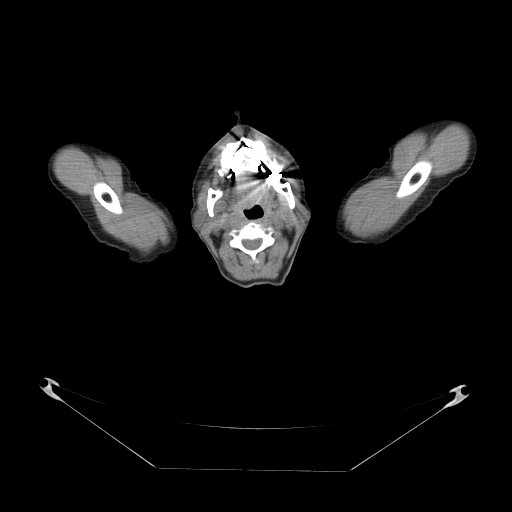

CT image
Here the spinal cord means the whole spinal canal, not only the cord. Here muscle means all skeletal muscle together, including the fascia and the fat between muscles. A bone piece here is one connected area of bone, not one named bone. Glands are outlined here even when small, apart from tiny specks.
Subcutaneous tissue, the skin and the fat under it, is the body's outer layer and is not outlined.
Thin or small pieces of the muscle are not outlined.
{"muscle":[{"outer":[[219,146],[221,151],[219,154],[219,167],[216,171],[221,178],[230,179],[233,176],[236,178],[246,171],[256,173],[260,170],[262,172],[259,174],[260,176],[267,176],[261,185],[271,186],[285,200],[291,210],[295,207],[298,222],[301,224],[304,222],[292,253],[275,279],[238,280],[232,277],[220,260],[214,255],[200,231],[199,228],[205,221],[205,214],[201,205],[197,209],[198,184],[204,177],[204,172],[213,152]],"holes":[[[251,219],[256,220],[264,227],[271,226],[273,228],[272,236],[274,238],[274,242],[273,244],[266,247],[256,254],[255,256],[257,262],[253,262],[251,257],[247,253],[238,248],[232,247],[229,244],[229,241],[232,238],[229,232],[232,229],[239,229]],[[209,187],[213,189],[220,189],[222,190],[223,192],[222,195],[220,197],[219,197],[214,203],[214,205],[213,206],[213,216],[212,217],[209,216],[208,214],[208,212],[207,211],[207,208],[206,207],[206,200],[207,199],[207,194],[208,193],[208,188]],[[254,206],[259,206],[259,207],[260,208],[261,208],[261,210],[262,211],[262,213],[261,214],[261,215],[260,216],[258,216],[257,217],[248,217],[244,213],[244,211],[245,210],[247,210],[248,209],[250,209],[251,208],[252,208]]]},{"outer":[[452,123],[462,125],[470,135],[470,150],[464,164],[452,172],[433,178],[398,222],[385,232],[372,237],[360,237],[348,231],[344,227],[344,221],[342,219],[342,210],[346,201],[360,186],[389,171],[396,145],[415,132],[422,130],[428,132],[438,131]],"hole":[[420,160],[425,160],[426,161],[429,161],[432,165],[432,168],[430,171],[430,173],[428,177],[425,180],[425,181],[414,192],[404,197],[402,197],[401,198],[397,198],[395,195],[403,177],[412,167],[412,166],[416,162]]},{"outer":[[67,146],[76,146],[91,155],[97,154],[115,159],[121,166],[125,187],[154,203],[166,214],[172,224],[169,242],[165,245],[158,243],[150,252],[143,254],[105,232],[98,222],[88,198],[81,196],[64,186],[53,171],[52,163],[54,156],[59,150]],"hole":[[101,181],[102,182],[105,182],[114,191],[114,192],[118,197],[118,199],[120,202],[120,204],[123,211],[122,213],[120,214],[116,214],[109,211],[107,209],[106,209],[94,196],[93,194],[93,186],[96,182],[100,182]]},[[240,130],[251,132],[265,138],[287,156],[290,161],[292,176],[297,180],[300,187],[301,202],[296,206],[296,198],[290,183],[287,180],[281,181],[281,169],[273,159],[265,143],[260,138],[250,139],[242,135],[237,140],[228,141],[220,145],[223,141]]],"right_arm":[[[73,139],[90,142],[118,155],[128,167],[131,178],[138,184],[140,189],[161,200],[168,207],[180,232],[179,243],[174,251],[152,262],[137,264],[128,260],[121,251],[96,241],[70,201],[64,198],[54,188],[46,172],[46,159],[52,149],[66,140]]],"bones":[[[242,136],[250,140],[260,139],[264,143],[280,169],[280,181],[289,183],[295,198],[294,208],[291,209],[271,185],[262,185],[270,172],[268,170],[246,170],[236,177],[232,173],[230,178],[219,175],[217,169],[220,167],[220,146],[237,141]],{"outer":[[251,219],[256,220],[264,227],[271,226],[273,228],[272,236],[274,238],[274,242],[273,244],[266,247],[256,254],[255,256],[257,262],[253,262],[251,257],[247,253],[238,248],[232,247],[229,244],[229,241],[232,238],[229,232],[232,229],[239,229]],"hole":[[246,239],[247,240],[254,240],[255,239],[261,239],[261,243],[259,245],[259,246],[258,247],[257,247],[256,248],[255,248],[254,249],[249,249],[248,248],[246,248],[243,245],[243,244],[242,243],[242,241],[243,240],[245,240]]},[[420,160],[425,160],[426,161],[429,161],[432,165],[432,168],[430,171],[430,173],[428,177],[425,180],[425,181],[414,192],[404,197],[402,197],[401,198],[397,198],[395,195],[403,177],[412,167],[412,166],[416,162]],[[101,181],[102,182],[105,182],[114,191],[114,192],[118,197],[118,199],[120,202],[120,204],[123,211],[122,213],[120,214],[116,214],[109,211],[107,209],[106,209],[94,196],[93,194],[93,186],[96,182],[100,182]],[[209,187],[213,189],[220,189],[222,190],[223,192],[222,195],[220,197],[219,197],[214,203],[214,205],[213,206],[213,216],[212,217],[209,216],[208,214],[208,212],[207,211],[207,208],[206,207],[206,200],[207,199],[207,194],[208,193],[208,188]]],"parotid_glands":[[[300,203],[301,203],[306,208],[306,209],[307,210],[307,213],[306,214],[306,217],[305,218],[305,219],[304,220],[303,223],[301,223],[300,222],[299,222],[299,220],[298,219],[298,217],[297,216],[297,214],[296,213],[296,207],[297,206],[297,205]],[[200,206],[201,206],[201,207],[203,210],[203,213],[204,214],[204,221],[203,222],[203,223],[200,226],[200,227],[198,227],[196,225],[196,224],[194,221],[194,213],[196,211],[196,210],[197,210],[198,209],[198,208]]],"left_arm":[[[442,117],[461,118],[474,128],[478,139],[478,149],[469,170],[442,190],[427,209],[390,240],[377,246],[369,246],[348,242],[337,236],[334,232],[334,218],[337,207],[346,191],[373,167],[379,167],[384,163],[388,158],[388,147],[397,138],[420,124]]],"spinal_cord":[[[246,239],[247,240],[254,240],[255,239],[261,239],[261,243],[259,245],[259,246],[258,247],[257,247],[256,248],[255,248],[254,249],[249,249],[248,248],[246,248],[243,245],[243,244],[242,243],[242,241],[243,240],[245,240]]],"head_and_neck":[{"outer":[[237,107],[243,109],[240,119],[244,123],[257,128],[289,149],[300,167],[306,200],[311,209],[309,223],[290,271],[283,284],[277,287],[266,284],[239,287],[228,282],[219,273],[190,223],[191,186],[200,159],[204,152],[234,125],[237,118],[232,110]],"hole":[[254,206],[259,206],[259,207],[260,208],[261,208],[261,210],[262,211],[262,213],[261,214],[261,215],[260,216],[258,216],[257,217],[248,217],[244,213],[244,211],[245,210],[247,210],[248,209],[250,209],[251,208],[252,208]]}]}